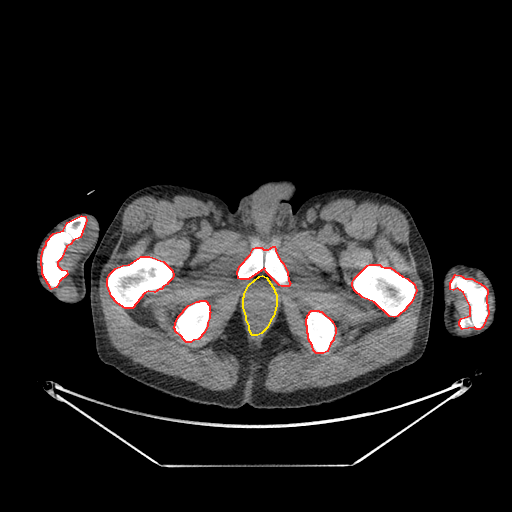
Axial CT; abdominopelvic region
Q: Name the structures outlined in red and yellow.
A: red: bones; yellow: abdominal cavity.
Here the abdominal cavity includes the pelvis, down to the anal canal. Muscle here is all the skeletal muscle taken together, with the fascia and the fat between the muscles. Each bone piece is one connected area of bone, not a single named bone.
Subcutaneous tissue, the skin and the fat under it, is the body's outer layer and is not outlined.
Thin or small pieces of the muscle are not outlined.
Outlines:
bones 1: 141,256 149,256 163,261 172,270 173,275 172,278 167,283 167,284 163,286 161,289 159,289 154,292 148,291 144,293 132,308 125,308 117,303 111,296 107,285 107,278 109,274 115,268 122,265 129,264
bones 2: 369,264 379,264 381,266 384,267 390,267 402,276 407,278 414,284 416,290 411,302 406,307 406,308 397,316 394,317 389,316 374,302 362,297 354,290 352,285 352,282 354,278 367,265
bones 3: 81,215 85,216 86,220 80,237 73,240 70,244 66,246 61,258 57,262 57,265 61,269 66,270 67,274 59,281 56,287 51,289 42,274 41,257 43,248 46,244 46,241 53,233 63,230 67,222
bones 4: 455,274 460,275 465,278 471,278 483,285 487,289 486,300 488,313 482,327 479,329 476,329 474,327 462,329 459,325 459,321 461,318 470,315 470,306 463,292 457,288 453,290 450,289 450,282
bones 5: 273,246 274,246 276,253 280,260 283,263 287,272 288,280 290,283 288,286 281,286 279,285 266,272 264,268 248,279 240,279 238,278 237,272 239,266 250,254 253,248 255,247 261,247 263,249 268,249
bones 6: 200,300 205,300 209,305 209,310 210,312 209,313 209,318 207,322 207,325 204,332 198,339 193,340 190,342 186,342 182,338 182,337 175,331 175,329 174,328 175,323 178,316 188,305 196,301 199,301
bones 7: 311,310 318,310 319,311 321,311 332,321 335,327 335,333 333,337 333,340 330,343 327,351 323,353 316,353 313,350 312,345 308,339 308,334 307,333 307,326 306,325 306,318 307,317 307,315
abdominal cavity: 262,275 266,277 274,289 274,291 276,294 276,305 273,316 270,320 267,327 261,333 257,335 252,335 249,330 249,326 246,319 246,316 243,307 243,297 244,296 244,293 249,284 259,276
torso: 282,178 297,186 289,202 293,212 307,198 339,188 380,192 408,209 433,269 433,305 422,356 355,393 295,409 200,404 144,385 104,363 95,348 90,268 122,202 143,187 176,184 214,194 233,212 242,196
right arm: 78,212 89,212 93,214 97,218 100,226 99,240 94,250 90,254 84,264 84,278 85,279 85,296 84,298 77,303 66,303 56,298 40,284 36,273 36,253 38,246 42,238 51,228 58,222 66,217
muscle 1: 157,192 175,192 211,204 231,231 260,239 293,232 308,210 332,199 369,200 399,209 409,225 410,247 423,284 413,347 393,362 342,383 287,393 271,392 263,385 267,364 281,351 296,350 298,342 281,309 261,346 251,347 238,304 223,336 213,343 239,362 239,379 233,388 211,390 134,363 110,343 100,305 99,280 118,240 125,208 136,198 with holes at 141,256 149,256 163,261 172,270 173,275 172,278 167,283 167,284 163,286 161,289 159,289 154,292 148,291 144,293 132,308 125,308 117,303 111,296 107,285 107,278 109,274 115,268 122,265 129,264 and at 369,264 379,264 381,266 384,267 390,267 402,276 407,278 414,284 416,290 411,302 406,307 406,308 397,316 394,317 389,316 374,302 362,297 354,290 352,285 352,282 354,278 367,265 and at 262,275 266,277 274,289 274,291 276,294 276,305 273,316 270,320 267,327 261,333 257,335 252,335 249,330 249,326 246,319 246,316 243,307 243,297 244,296 244,293 249,284 259,276 and at 273,246 274,246 276,253 280,260 283,263 287,272 288,280 290,283 288,286 281,286 279,285 266,272 264,268 248,279 240,279 238,278 237,272 239,266 250,254 253,248 255,247 261,247 263,249 268,249 and at 200,300 205,300 209,305 209,310 210,312 209,313 209,318 207,322 207,325 204,332 198,339 193,340 190,342 186,342 182,338 182,337 175,331 175,329 174,328 175,323 178,316 188,305 196,301 199,301 and at 311,310 318,310 319,311 321,311 332,321 335,327 335,333 333,337 333,340 330,343 327,351 323,353 316,353 313,350 312,345 308,339 308,334 307,333 307,326 306,325 306,318 307,317 307,315
muscle 2: 86,216 90,217 94,222 93,240 90,247 77,261 75,270 76,272 73,276 74,283 77,289 77,296 73,299 66,299 53,290 68,274 68,271 61,268 58,265 58,262 62,258 67,246 81,237 87,220
muscle 3: 454,269 463,269 481,273 487,279 493,296 492,312 490,318 484,325 489,313 487,300 488,289 483,284 471,277 465,277 457,273 452,276 449,282 449,289 451,291 457,289 463,293 469,306 469,315 461,317 458,321 458,325 462,330 467,330 470,328 475,329 467,334 460,334 456,332 454,328 455,307 453,302 450,300 447,285 447,278 450,272
muscle 4: 251,360 252,360 253,361 254,361 255,362 256,362 259,365 260,365 261,366 261,367 260,368 259,368 256,371 253,371 252,372 251,371 251,370 249,368 249,366 251,364 251,362 250,361
left arm: 456,263 463,263 470,266 476,267 479,269 487,279 490,285 494,295 494,299 497,309 493,322 485,331 477,335 465,338 458,338 450,335 444,327 442,317 444,307 444,302 442,295 442,279 446,270 450,266